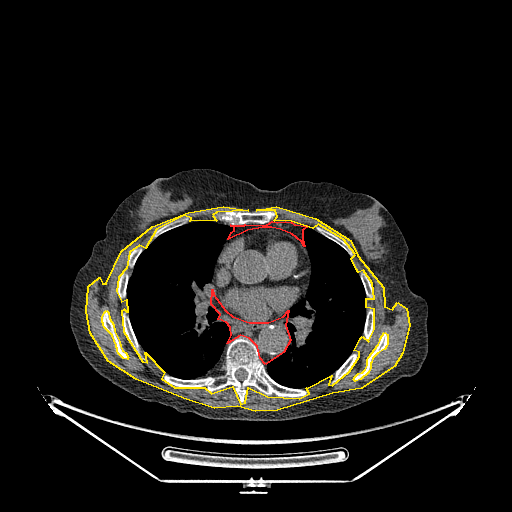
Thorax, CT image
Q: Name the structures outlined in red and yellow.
A: red: mediastinum; yellow: muscle.
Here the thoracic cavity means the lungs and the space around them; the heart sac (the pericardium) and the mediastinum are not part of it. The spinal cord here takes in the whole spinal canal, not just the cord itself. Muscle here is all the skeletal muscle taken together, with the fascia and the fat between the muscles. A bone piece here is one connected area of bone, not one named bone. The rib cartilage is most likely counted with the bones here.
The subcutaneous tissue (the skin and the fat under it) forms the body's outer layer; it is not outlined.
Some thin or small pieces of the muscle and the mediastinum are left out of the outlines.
Outlined structures:
mediastinum 1: 212,289 213,294 225,310 232,316 249,322 268,322 283,316 288,310 285,325 290,340 283,352 265,364 260,358 257,346 249,338 240,335 227,343 231,335 230,327 226,322 218,319 220,314 211,304
mediastinum 2: 272,221 277,222 285,221 291,222 294,224 307,226 302,230 302,239 304,246 301,241 292,234 280,229 271,227 263,227 247,230 228,239 231,232 234,230 234,227 230,225 244,225 245,224 262,225 267,224
muscle: 223,206 248,210 216,212 212,215 216,220 190,221 191,218 184,215 156,229 145,248 139,245 129,252 126,268 118,277 116,291 121,301 126,299 127,312 124,309 121,311 123,331 142,361 147,362 145,352 164,372 161,378 174,387 204,387 211,393 232,386 240,404 245,402 248,387 267,396 299,398 309,393 306,388 331,375 328,384 332,385 349,371 359,356 359,352 354,350 360,338 362,336 368,341 374,329 374,309 366,307 366,298 374,298 372,283 363,270 358,272 356,269 351,258 355,254 343,239 318,224 312,228 291,221 274,220 277,216 275,210 256,210 276,206 315,218 350,240 357,255 383,287 384,306 392,309 397,302 406,308 409,325 402,353 394,366 361,388 332,393 277,410 255,411 237,406 214,408 183,398 136,379 108,361 90,333 86,311 88,286 99,277 102,283 106,283 121,251 152,226 188,212, around holes outlined by 384,332 387,334 387,344 386,346 384,349 377,353 372,358 371,362 370,363 370,368 368,372 360,379 355,381 353,379 354,377 358,373 362,372 365,369 367,365 367,359 368,357 378,344 380,340 380,338 and by 106,310 108,312 109,318 113,324 114,331 119,341 120,346 122,350 125,352 128,357 127,359 123,358 118,353 117,351 117,348 116,347 116,345 112,335 104,327 103,325 103,323 102,322 102,317 104,312
spinal cord: 238,369 244,369 247,372 247,376 245,378 245,379 244,379 243,380 242,380 241,381 240,380 239,380 236,377 236,376 235,375 235,372
thoracic cavity 1: 203,220 217,221 233,227 216,258 209,283 211,289 210,304 219,314 217,319 228,325 230,335 226,342 223,362 215,373 196,378 181,378 166,373 142,348 128,313 127,287 139,256 152,241 170,230 190,222
thoracic cavity 2: 308,227 337,244 350,257 364,290 366,313 362,335 346,359 332,374 302,388 290,387 277,382 268,373 265,365 270,360 277,359 286,349 291,340 286,325 289,318 288,312 306,295 311,265 303,239 303,230
bones 1: 240,336 254,343 272,379 283,386 305,389 308,393 299,397 278,396 274,393 267,395 248,386 244,402 240,403 232,385 210,392 204,386 178,387 166,382 162,378 165,373 181,379 215,374 224,362 227,344, around a hole outlined by 238,369 244,369 247,372 247,376 245,378 245,379 244,379 243,380 242,380 241,381 240,380 239,380 236,377 236,376 235,375 235,372
bones 2: 227,210 230,210 231,211 267,211 268,210 272,210 276,212 276,216 273,220 267,223 263,223 262,224 260,223 245,223 244,224 230,224 224,221 220,221 219,220 217,220 213,216 213,215 216,213 222,213
bones 3: 139,246 142,247 143,250 138,256 133,268 131,270 129,268 127,270 128,272 130,273 130,275 126,287 126,298 121,300 118,296 118,292 117,291 118,280 121,273 127,268 127,259 130,252 134,248
bones 4: 124,310 126,311 126,312 128,314 128,316 129,317 129,320 130,321 132,329 134,332 134,334 141,348 144,351 144,355 146,358 146,362 142,360 133,349 124,331 124,328 123,327 123,323 122,322 122,311
bones 5: 384,332 387,334 387,344 386,346 384,349 377,353 372,358 371,362 370,363 370,368 368,372 360,379 355,381 353,379 354,377 358,373 362,372 365,369 367,365 367,359 368,357 378,344 380,340 380,338
bones 6: 353,351 357,351 358,352 358,356 357,357 354,364 342,377 341,377 337,381 336,381 334,383 333,383 332,384 329,384 330,381 333,377 333,374 335,372 335,371 347,359 347,358 352,353 352,352
bones 7: 106,310 108,312 109,318 113,324 114,331 119,341 120,346 122,350 125,352 128,357 127,359 123,358 118,353 117,351 117,348 116,347 116,345 112,335 104,327 103,325 103,323 102,322 102,317 104,312
bones 8: 184,216 188,216 190,218 189,222 185,223 182,225 180,225 177,227 175,227 172,229 170,229 160,234 153,240 151,239 151,235 156,230 157,230 162,226 165,225 167,223 171,222 176,219 181,218
bones 9: 316,225 318,225 324,228 326,230 333,233 335,235 339,237 342,240 343,240 351,249 354,255 352,257 351,257 341,246 340,246 334,241 329,239 327,237 326,237 324,235 323,235 321,233 317,231 314,228
bones 10: 369,308 372,308 373,309 373,312 374,313 374,325 373,326 373,329 370,335 370,337 368,339 368,340 365,340 363,336 363,330 364,329 364,326 365,325 365,321 366,320 366,314 367,313 367,310
bones 11: 360,271 363,271 366,274 366,275 368,277 371,283 371,285 373,289 373,298 372,299 370,299 366,297 365,290 364,289 364,287 361,281 361,279 360,278 360,275 359,274
torso: 193,168 214,169 267,190 299,180 331,182 369,194 384,205 408,246 408,286 428,305 428,352 419,371 341,411 248,421 210,419 146,401 94,370 70,327 75,276 95,242 105,237 106,223 122,200 156,178
pericardium: 263,228 271,228 280,230 292,235 300,241 308,256 310,265 309,279 305,293 292,303 283,315 268,321 249,321 232,315 221,305 219,300 213,292 212,281 216,265 218,262 218,257 226,243 226,241 247,231